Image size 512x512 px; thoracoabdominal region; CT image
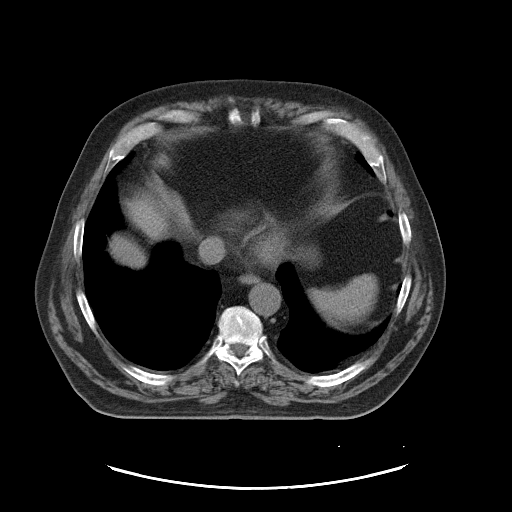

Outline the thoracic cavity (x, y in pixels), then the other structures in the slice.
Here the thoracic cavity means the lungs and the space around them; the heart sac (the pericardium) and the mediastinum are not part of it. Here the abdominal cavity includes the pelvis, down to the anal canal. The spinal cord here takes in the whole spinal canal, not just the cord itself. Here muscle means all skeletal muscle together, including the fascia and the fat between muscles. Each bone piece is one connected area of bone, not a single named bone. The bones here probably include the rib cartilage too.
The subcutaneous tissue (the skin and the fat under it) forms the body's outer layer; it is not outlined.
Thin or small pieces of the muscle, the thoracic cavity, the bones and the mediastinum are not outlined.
The thoracic cavity appears in 3 outlined pieces: piece 1: (131, 151) (131, 159) (114, 178) (123, 225) (105, 236) (104, 250) (111, 261) (141, 271) (148, 265) (154, 247) (174, 242) (188, 264) (214, 270) (220, 284) (217, 332) (207, 350) (185, 366) (160, 373) (133, 364) (114, 348) (98, 326) (84, 291) (86, 219) (106, 176); piece 2: (284, 262) (289, 262) (293, 266) (309, 306) (326, 329) (341, 334) (361, 335) (369, 332) (390, 316) (387, 326) (377, 341) (357, 360) (336, 372) (312, 374) (298, 369) (273, 351) (268, 336) (277, 337) (289, 318) (288, 305) (283, 297) (281, 284) (276, 278) (276, 271); piece 3: (358, 151) (359, 151) (362, 154) (362, 155) (364, 157) (365, 160) (367, 162) (367, 163) (369, 165) (369, 166) (372, 169) (372, 170) (373, 171) (373, 172) (376, 177) (373, 177) (372, 176) (371, 176) (370, 175) (370, 174) (358, 162) (358, 161) (356, 159) (356, 153). The mediastinum appears in 3 outlined pieces: piece 1: (209, 230) (225, 238) (231, 257) (239, 268) (264, 273) (276, 269) (275, 278) (280, 284) (288, 309) (287, 321) (277, 336) (264, 333) (261, 319) (240, 304) (224, 308) (216, 321) (217, 304) (221, 296) (218, 273) (214, 269) (201, 269) (188, 263) (181, 247) (181, 244); piece 2: (327, 131) (336, 136) (341, 137) (349, 141) (359, 150) (355, 153) (355, 159) (371, 177) (377, 178) (381, 183) (381, 186) (386, 195) (381, 193) (366, 193) (350, 200) (346, 204) (337, 209) (335, 209) (330, 204) (332, 192) (332, 164) (331, 163) (330, 149) (327, 140); piece 3: (148, 139) (152, 139) (153, 140) (151, 143) (151, 150) (149, 153) (149, 157) (145, 160) (145, 162) (143, 165) (131, 177) (128, 177) (127, 179) (124, 179) (117, 186) (117, 189) (117, 184) (115, 178) (117, 174) (132, 159) (134, 153) (131, 150) (140, 142). The spinal cord is outlined by (236, 343) (240, 343) (241, 344) (243, 344) (244, 345) (245, 345) (246, 346) (247, 346) (247, 349) (245, 351) (245, 352) (244, 353) (244, 355) (243, 355) (240, 357) (239, 357) (238, 356) (237, 356) (233, 352) (233, 351) (231, 348) (231, 346) (233, 344) (235, 344). The pericardium is outlined by (253, 206) (265, 207) (274, 222) (302, 232) (301, 239) (295, 246) (295, 250) (293, 251) (289, 260) (288, 259) (282, 262) (273, 271) (264, 272) (255, 269) (246, 269) (236, 265) (230, 252) (226, 238) (221, 233) (215, 232) (210, 228) (210, 223) (216, 217). The muscle is outlined by (215, 95) (233, 95) (234, 96) (243, 96) (244, 97) (264, 97) (265, 98) (277, 98) (278, 99) (291, 99) (292, 100) (301, 100) (302, 101) (314, 102) (321, 104) (334, 105) (345, 108) (348, 111) (356, 114) (364, 121) (369, 128) (378, 137) (380, 142) (384, 146) (389, 159) (391, 161) (395, 171) (399, 176) (403, 186) (410, 198) (411, 205) (413, 209) (414, 216) (416, 220) (425, 256) (432, 276) (434, 279) (433, 280) (434, 309) (428, 326) (420, 340) (399, 365) (377, 383) (354, 396) (335, 403) (299, 402) (298, 403) (293, 403) (281, 406) (280, 405) (273, 405) (267, 403) (252, 394) (248, 390) (240, 387) (239, 388) (231, 389) (224, 397) (214, 403) (203, 403) (190, 399) (181, 399) (180, 400) (161, 401) (160, 402) (144, 402) (143, 401) (139, 401) (114, 394) (102, 388) (90, 380) (65, 354) (52, 335) (47, 314) (48, 310) (47, 299) (48, 298) (49, 288) (54, 274) (62, 242) (71, 216) (71, 213) (78, 199) (80, 197) (85, 185) (90, 178) (105, 149) (125, 123) (135, 116) (145, 111) (147, 111) (154, 107) (171, 102) (183, 101) (196, 98) (202, 98), around a hole outlined by (257, 105) (261, 117) (289, 124) (302, 114) (328, 110) (371, 137) (383, 157) (386, 181) (381, 186) (393, 211) (406, 214) (411, 229) (402, 251) (402, 274) (411, 275) (405, 303) (398, 314) (393, 309) (377, 341) (359, 357) (373, 361) (336, 385) (307, 384) (298, 377) (311, 373) (276, 354) (276, 363) (265, 355) (238, 376) (213, 354) (202, 364) (197, 364) (199, 357) (159, 371) (174, 375) (166, 384) (140, 381) (122, 368) (132, 363) (98, 326) (98, 336) (92, 331) (80, 309) (76, 292) (84, 290) (84, 273) (82, 259) (73, 253) (75, 224) (88, 217) (106, 177) (110, 149) (133, 127) (155, 121) (165, 131) (183, 124) (159, 120) (167, 110) (191, 111) (203, 122) (220, 113) (226, 116) (234, 106) (248, 124). The abdominal cavity is outlined by (220, 113) (254, 128) (266, 115) (321, 126) (335, 210) (366, 194) (388, 198) (403, 244) (391, 315) (361, 334) (326, 328) (288, 261) (303, 232) (262, 205) (216, 216) (180, 245) (157, 244) (141, 270) (112, 261) (106, 236) (124, 225) (118, 186) (150, 157) (151, 138). The bones appear in 12 outlined pieces: piece 1: (237, 305) (248, 308) (260, 319) (263, 333) (267, 336) (268, 343) (275, 355) (277, 362) (273, 362) (265, 355) (262, 360) (252, 362) (246, 366) (238, 376) (235, 369) (228, 362) (219, 360) (214, 354) (206, 362) (197, 364) (210, 347) (218, 332) (217, 321) (223, 310), around a hole outlined by (236, 343) (240, 343) (241, 344) (243, 344) (244, 345) (245, 345) (246, 346) (247, 346) (247, 349) (245, 351) (245, 352) (244, 353) (244, 355) (243, 355) (240, 357) (239, 357) (238, 356) (237, 356) (233, 352) (233, 351) (231, 348) (231, 346) (233, 344) (235, 344); piece 2: (320, 110) (331, 111) (334, 117) (340, 117) (352, 122) (360, 130) (371, 137) (372, 142) (383, 157) (383, 163) (386, 173) (385, 183) (382, 183) (378, 179) (363, 154) (353, 143) (326, 130) (322, 127) (321, 121) (308, 124) (294, 123) (292, 121) (294, 118) (302, 114); piece 3: (148, 121) (155, 121) (159, 123) (162, 126) (162, 130) (159, 133) (154, 135) (152, 137) (142, 140) (136, 144) (129, 151) (129, 152) (122, 159) (118, 161) (111, 168) (108, 173) (104, 176) (104, 170) (107, 163) (108, 155) (110, 149) (118, 139) (130, 129) (139, 124); piece 4: (367, 358) (371, 358) (373, 359) (373, 361) (365, 369) (362, 370) (353, 377) (336, 385) (321, 387) (320, 386) (316, 386) (312, 384) (307, 384) (303, 380) (298, 378) (299, 376) (307, 377) (310, 375) (328, 375) (329, 374) (336, 373) (346, 368) (358, 360) (363, 360); piece 5: (123, 364) (126, 365) (132, 364) (145, 371) (151, 373) (156, 373) (157, 374) (172, 374) (174, 375) (174, 378) (170, 382) (166, 384) (163, 385) (153, 385) (149, 383) (146, 383) (140, 381) (135, 377) (130, 375) (122, 368) (122, 365); piece 6: (171, 109) (182, 109) (183, 110) (187, 110) (188, 111) (191, 111) (192, 112) (194, 112) (199, 115) (200, 117) (200, 120) (197, 123) (179, 123) (178, 122) (172, 122) (168, 120) (159, 120) (158, 119) (158, 116) (161, 113) (163, 113) (167, 110) (170, 110); piece 7: (77, 290) (82, 290) (85, 294) (86, 299) (91, 309) (91, 311) (93, 314) (94, 319) (97, 324) (97, 331) (98, 332) (98, 336) (97, 336) (89, 327) (80, 309) (80, 307) (78, 304) (78, 302) (76, 298) (76, 292); piece 8: (80, 218) (84, 218) (85, 219) (85, 222) (84, 223) (84, 228) (83, 229) (83, 239) (82, 240) (82, 247) (81, 248) (81, 258) (78, 260) (76, 260) (76, 259) (74, 257) (74, 254) (73, 253) (73, 235) (74, 234) (74, 231) (75, 230) (75, 224) (76, 222); piece 9: (407, 274) (410, 274) (411, 275) (411, 285) (410, 286) (409, 293) (407, 296) (407, 298) (405, 301) (405, 303) (401, 311) (398, 314) (396, 314) (395, 313) (395, 306) (396, 305) (397, 297) (398, 296) (398, 294) (401, 287) (401, 283) (402, 282) (402, 280) (404, 276); piece 10: (400, 210) (401, 211) (403, 211) (406, 214) (408, 221) (409, 222) (409, 224) (410, 225) (410, 228) (411, 229) (411, 240) (408, 244) (404, 244) (402, 242) (402, 238) (401, 237) (401, 234) (400, 233) (400, 230) (399, 229) (399, 224) (398, 223) (398, 212); piece 11: (234, 106) (237, 107) (237, 108) (239, 110) (239, 113) (240, 114) (240, 116) (241, 117) (242, 120) (245, 123) (244, 124) (233, 124) (232, 123) (231, 123) (229, 121) (229, 120) (227, 117) (227, 115) (228, 114) (228, 111) (232, 107) (233, 107); piece 12: (257, 105) (258, 106) (259, 106) (259, 107) (260, 108) (260, 116) (261, 117) (261, 119) (260, 120) (260, 122) (259, 123) (259, 124) (256, 127) (254, 127) (249, 123) (250, 122) (250, 117) (251, 116) (251, 111) (253, 109) (253, 108) (254, 107) (254, 106) (256, 106). The torso is outlined by (232, 78) (318, 83) (364, 100) (397, 132) (430, 205) (446, 269) (445, 298) (439, 323) (404, 383) (382, 405) (363, 415) (349, 419) (292, 420) (114, 417) (92, 409) (74, 391) (43, 335) (34, 303) (36, 270) (62, 190) (95, 124) (112, 108) (142, 92) (186, 81).